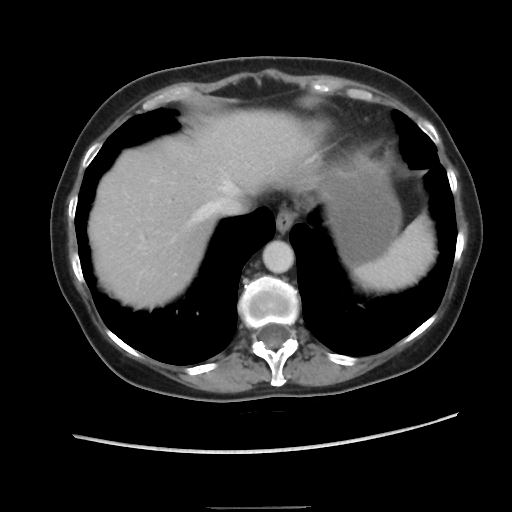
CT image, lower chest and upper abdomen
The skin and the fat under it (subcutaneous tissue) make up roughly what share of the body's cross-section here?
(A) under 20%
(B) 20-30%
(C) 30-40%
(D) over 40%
(A) under 20%
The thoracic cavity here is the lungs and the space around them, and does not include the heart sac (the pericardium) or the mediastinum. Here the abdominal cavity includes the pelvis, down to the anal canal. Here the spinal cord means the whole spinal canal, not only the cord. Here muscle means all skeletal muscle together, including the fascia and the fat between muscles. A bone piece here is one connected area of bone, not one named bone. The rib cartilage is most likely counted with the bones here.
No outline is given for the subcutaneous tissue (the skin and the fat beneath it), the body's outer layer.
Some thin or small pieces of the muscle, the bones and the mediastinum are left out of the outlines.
{"spinal_cord":[[[269,323],[275,323],[276,324],[285,325],[287,327],[287,329],[288,330],[288,336],[287,337],[287,338],[281,344],[281,346],[276,349],[272,349],[271,348],[268,348],[266,346],[265,343],[262,340],[261,340],[258,338],[258,331],[259,330],[259,329]]],"torso":[[[257,55],[325,57],[371,65],[407,82],[438,113],[471,173],[483,221],[482,247],[463,307],[446,340],[424,363],[401,375],[342,393],[209,402],[142,389],[120,378],[102,361],[61,293],[52,265],[49,233],[56,186],[86,122],[126,83],[166,68]]],"mediastinum":[[[277,194],[311,197],[319,205],[318,210],[309,214],[307,221],[295,223],[289,231],[289,241],[296,260],[297,288],[281,278],[263,274],[245,284],[238,297],[240,276],[244,265],[257,250],[273,237],[276,229],[272,210],[267,206],[258,207],[265,200]],[[322,94],[344,97],[370,103],[377,103],[392,108],[391,115],[394,121],[394,125],[399,134],[399,148],[402,158],[407,165],[401,159],[396,146],[390,141],[381,138],[375,138],[369,141],[368,143],[366,135],[357,125],[339,109],[325,101],[325,97]]],"bones":[{"outer":[[263,275],[270,275],[290,284],[297,289],[300,299],[300,314],[292,327],[295,331],[298,347],[283,365],[282,374],[286,381],[281,386],[270,384],[271,369],[263,358],[253,353],[251,346],[252,330],[245,326],[237,311],[238,299],[244,290],[244,286]],"hole":[[269,323],[275,323],[276,324],[285,325],[287,327],[287,329],[288,330],[288,336],[287,337],[287,338],[281,344],[281,346],[276,349],[272,349],[271,348],[268,348],[266,346],[265,343],[262,340],[261,340],[258,338],[258,331],[259,330],[259,329]]},[[180,86],[186,86],[187,87],[192,88],[194,90],[195,94],[188,97],[179,98],[172,103],[164,104],[161,106],[158,106],[153,109],[151,109],[147,111],[144,111],[141,108],[142,104],[147,100],[153,98],[167,89],[174,88],[175,87],[179,87]],[[319,79],[322,79],[323,80],[337,80],[338,81],[340,81],[343,83],[343,87],[340,89],[337,89],[336,90],[335,90],[332,92],[318,92],[317,91],[314,91],[313,90],[312,90],[310,88],[310,84],[312,81],[313,81],[314,80],[318,80]],[[423,119],[428,120],[430,121],[433,124],[437,132],[437,134],[439,138],[439,143],[438,145],[436,146],[435,144],[430,139],[430,138],[425,133],[424,133],[417,125],[416,122],[418,120],[422,120]],[[435,312],[437,314],[437,316],[436,318],[434,320],[434,321],[426,329],[425,329],[417,336],[416,336],[411,340],[405,343],[400,343],[399,342],[400,340],[401,340],[403,338],[407,336],[412,331],[413,331],[417,327],[418,327]],[[107,327],[112,332],[113,332],[120,339],[121,339],[125,343],[126,343],[134,349],[137,350],[139,352],[144,354],[144,355],[142,357],[137,357],[136,356],[131,354],[129,352],[126,351],[120,346],[119,346],[106,333],[106,332],[105,331],[105,329]],[[327,352],[333,352],[334,353],[338,353],[339,354],[342,354],[343,355],[346,355],[347,356],[351,356],[352,357],[357,357],[358,360],[353,365],[343,365],[342,364],[335,363],[334,362],[331,361],[328,358],[328,357],[326,354],[326,353]],[[206,362],[215,362],[217,364],[217,366],[212,370],[210,370],[206,372],[202,372],[201,373],[195,374],[194,375],[190,375],[186,373],[184,370],[185,368],[188,366],[193,366],[194,365],[197,365],[198,364],[201,364],[202,363],[205,363]],[[76,250],[77,250],[77,252],[78,253],[78,256],[80,261],[80,265],[81,266],[81,269],[82,270],[82,273],[83,274],[83,277],[84,278],[85,283],[83,282],[80,282],[78,280],[74,273],[73,268],[71,265],[71,262],[70,261],[70,254]],[[96,142],[101,142],[102,143],[102,145],[101,146],[100,149],[98,151],[98,152],[94,157],[94,158],[89,164],[89,165],[86,168],[84,168],[82,165],[82,161],[83,160],[84,155],[85,154],[86,151],[88,149],[88,148],[92,144],[93,144]],[[459,229],[462,229],[464,232],[464,245],[463,246],[463,249],[461,252],[461,254],[460,255],[460,257],[459,258],[459,259],[456,262],[456,263],[453,265],[453,260],[454,259],[454,254],[455,253],[455,245],[456,244],[456,239],[457,238],[457,232]]],"muscle":[[[83,155],[81,165],[85,170],[83,173],[79,191],[69,198],[67,206],[68,218],[74,222],[77,244],[77,249],[69,254],[69,261],[77,280],[80,283],[86,284],[95,308],[106,326],[104,329],[105,333],[119,347],[137,358],[142,358],[145,355],[162,363],[178,366],[187,366],[184,368],[184,372],[190,376],[194,376],[212,371],[218,366],[215,361],[207,361],[225,351],[231,345],[236,338],[241,321],[247,329],[251,330],[250,346],[252,353],[263,359],[270,369],[270,385],[264,382],[260,383],[254,388],[235,393],[218,393],[193,388],[124,355],[102,336],[90,319],[81,297],[73,283],[72,277],[69,272],[69,262],[66,245],[66,199],[76,178],[79,164]],[[438,132],[447,156],[458,171],[461,199],[468,222],[464,259],[444,315],[409,347],[358,376],[324,386],[286,383],[283,368],[299,347],[293,327],[299,318],[311,336],[331,351],[325,353],[327,358],[343,366],[353,366],[358,357],[382,352],[397,342],[405,344],[411,341],[437,318],[436,310],[446,291],[452,266],[460,259],[465,245],[465,232],[457,228],[453,197],[458,180],[454,170],[451,167],[445,169],[439,160]],[[270,68],[294,75],[329,74],[352,79],[391,94],[428,119],[418,119],[415,122],[396,108],[377,102],[366,101],[369,101],[373,98],[373,93],[363,88],[354,86],[347,87],[344,91],[347,97],[322,93],[332,93],[342,89],[344,87],[344,83],[337,79],[314,79],[309,84],[309,88],[311,90],[308,90],[299,87],[296,84],[286,83],[273,77],[261,75],[246,77],[215,91],[209,93],[204,92],[196,95],[194,95],[196,94],[195,90],[192,87],[186,85],[167,88],[144,101],[140,106],[144,112],[136,113],[127,119],[110,134],[103,143],[101,141],[96,141],[90,145],[117,117],[130,106],[149,93],[162,87],[184,81],[212,82],[240,72],[257,72]]],"thoracic_cavity":[[[160,107],[176,112],[178,126],[122,147],[97,180],[85,233],[98,292],[132,312],[165,309],[186,297],[223,220],[260,207],[269,208],[274,218],[272,237],[240,272],[235,338],[193,365],[154,359],[105,324],[86,283],[76,237],[86,169],[122,124]],[[393,109],[412,120],[436,147],[453,198],[454,253],[435,311],[386,349],[352,356],[330,350],[312,336],[300,318],[297,260],[290,231],[319,209],[352,291],[361,297],[396,296],[417,287],[429,275],[440,256],[426,183],[429,170],[410,167],[403,158]]],"abdominal_cavity":[[[261,76],[324,97],[301,115],[298,169],[340,172],[375,139],[394,145],[410,169],[427,168],[439,249],[433,269],[399,294],[358,295],[317,201],[277,193],[219,223],[183,299],[149,313],[98,291],[86,222],[100,176],[122,148],[179,126],[165,106]]],"pericardium":[[[322,101],[326,102],[334,108],[339,110],[351,120],[365,135],[365,138],[367,143],[364,144],[356,152],[352,157],[349,163],[348,163],[344,168],[337,172],[310,171],[304,168],[298,168],[298,166],[296,163],[296,150],[301,138],[302,115],[307,108]]]}